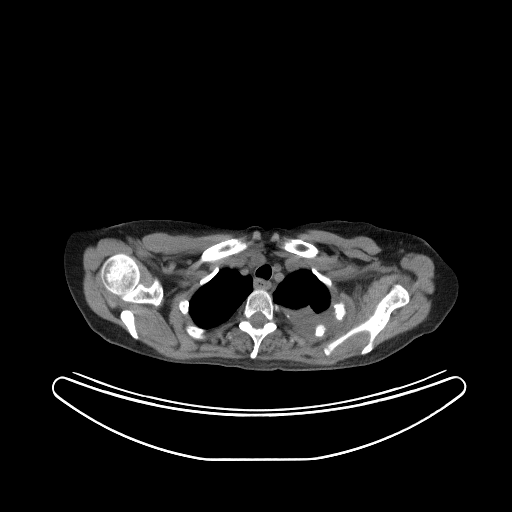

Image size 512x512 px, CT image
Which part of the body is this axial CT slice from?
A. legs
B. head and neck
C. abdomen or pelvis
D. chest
Answer: D. chest
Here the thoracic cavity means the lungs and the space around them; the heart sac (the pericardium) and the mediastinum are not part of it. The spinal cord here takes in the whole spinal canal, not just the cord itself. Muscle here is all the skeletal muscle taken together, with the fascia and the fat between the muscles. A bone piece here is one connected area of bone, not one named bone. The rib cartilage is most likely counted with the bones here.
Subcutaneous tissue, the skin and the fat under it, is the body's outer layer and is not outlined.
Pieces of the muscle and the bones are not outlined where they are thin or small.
Outlines (x, y in pixels):
muscle: 308 229; 347 238; 367 236; 381 247; 377 256; 388 266; 409 252; 424 254; 434 264; 435 290; 425 320; 374 348; 392 312; 410 301; 407 288; 395 283; 365 320; 323 347; 328 357; 350 337; 368 333; 360 355; 333 364; 256 359; 263 339; 279 327; 281 317; 319 338; 334 317; 341 321; 346 314; 343 301; 332 303; 330 277; 268 251; 216 265; 199 279; 189 300; 182 298; 177 304; 193 322; 185 325; 186 333; 197 340; 235 315; 225 326; 235 325; 249 335; 253 344; 249 357; 166 357; 138 340; 131 309; 119 312; 126 331; 95 313; 83 294; 83 251; 102 238; 256 230; 267 238; 274 232; 293 236, around holes outlined by 117 253; 124 253; 134 259; 139 269; 140 274; 139 282; 141 284; 147 287; 153 282; 155 278; 157 278; 160 281; 163 289; 163 296; 159 305; 155 306; 149 303; 135 303; 124 301; 117 295; 106 289; 101 279; 100 269; 107 258 and by 232 237; 240 237; 247 241; 248 242; 248 247; 245 250; 241 251; 236 254; 232 254; 223 257; 215 261; 209 261; 208 262; 197 263; 198 260; 200 258; 202 252; 205 249; 222 240; 225 240; 228 238; 231 238 and by 287 238; 298 238; 304 241; 306 241; 309 243; 311 243; 313 244; 318 249; 318 253; 314 257; 312 258; 308 258; 307 257; 303 257; 302 256; 300 256; 299 255; 297 255; 296 254; 288 252; 282 249; 280 247; 280 244; 285 239
torso: 144 219; 183 220; 237 229; 252 225; 264 229; 290 228; 325 220; 368 222; 423 238; 455 272; 458 295; 435 330; 387 358; 365 366; 253 371; 164 362; 109 343; 89 327; 81 314; 120 302; 137 288; 142 274; 142 247; 134 220
right arm: 133 220; 138 233; 138 238; 140 241; 140 246; 141 247; 141 274; 136 288; 125 298; 120 301; 117 301; 107 305; 103 305; 94 310; 81 313; 70 294; 64 275; 63 253; 66 240; 69 234; 74 228; 81 225; 90 227; 109 226
thoracic cavity 1: 302 267; 310 270; 317 279; 328 289; 331 299; 331 307; 333 309; 333 319; 331 322; 325 325; 323 323; 318 323; 314 327; 313 331; 306 331; 290 324; 281 315; 281 307; 279 304; 274 302; 272 296; 273 292; 279 283; 289 273
thoracic cavity 2: 226 266; 238 270; 238 271; 244 276; 245 275; 250 275; 252 278; 252 290; 247 295; 235 314; 227 321; 207 329; 204 327; 198 326; 194 323; 191 316; 189 314; 190 299; 194 293; 201 286; 209 282; 218 273; 219 270; 221 268
mediastinum: 267 252; 272 255; 293 260; 297 262; 301 266; 301 267; 299 267; 289 272; 278 283; 272 293; 270 293; 263 288; 254 288; 253 289; 253 278; 250 274; 245 274; 244 275; 238 269; 227 266; 236 260; 242 258; 247 258; 251 256
bones 1: 117 253; 124 253; 134 259; 139 269; 140 274; 139 282; 141 284; 147 287; 153 282; 155 278; 157 278; 160 281; 163 289; 163 296; 159 305; 155 306; 149 303; 135 303; 124 301; 117 295; 106 289; 101 279; 100 269; 107 258
bones 2: 254 289; 263 289; 271 294; 273 302; 280 307; 281 316; 278 327; 274 331; 268 333; 262 339; 256 357; 252 359; 250 358; 250 353; 253 349; 254 344; 250 335; 240 330; 235 324; 228 326; 226 325; 235 319; 236 313; 239 308; inner edge: 256 313; 260 313; 261 314; 262 314; 265 317; 265 318; 266 319; 266 321; 260 327; 256 327; 255 326; 254 326; 250 322; 250 321; 249 320; 249 319; 252 316; 252 315; 253 315; 254 314; 255 314
bones 3: 395 284; 401 284; 406 288; 409 293; 409 301; 407 304; 391 312; 387 323; 375 337; 373 348; 363 355; 360 354; 369 338; 369 333; 367 331; 362 331; 347 338; 327 356; 324 353; 324 347; 354 326; 365 321; 374 312; 379 301
bones 4: 232 237; 240 237; 247 241; 248 242; 248 247; 245 250; 241 251; 236 254; 232 254; 223 257; 215 261; 209 261; 208 262; 197 263; 198 260; 200 258; 202 252; 205 249; 222 240; 225 240; 228 238; 231 238
bones 5: 287 238; 298 238; 304 241; 306 241; 309 243; 311 243; 313 244; 318 249; 318 253; 314 257; 312 258; 308 258; 307 257; 303 257; 302 256; 300 256; 299 255; 297 255; 296 254; 288 252; 282 249; 280 247; 280 244; 285 239
bones 6: 125 309; 128 309; 129 310; 131 310; 134 314; 134 323; 135 324; 135 328; 136 329; 136 331; 138 335; 138 339; 137 340; 136 339; 134 339; 130 335; 125 325; 123 323; 123 322; 120 318; 120 312; 122 310; 124 310
bones 7: 193 323; 198 327; 200 327; 201 328; 204 328; 206 329; 206 331; 204 334; 204 336; 205 337; 203 339; 197 339; 196 338; 194 338; 190 336; 187 333; 185 329; 185 327; 186 325; 187 324; 192 324
bones 8: 341 301; 344 303; 344 306; 345 307; 345 314; 343 316; 343 317; 341 320; 337 320; 335 318; 335 317; 334 316; 334 309; 332 306; 332 304; 333 304; 334 303; 336 303; 337 302; 340 302
bones 9: 312 267; 314 267; 320 273; 321 273; 322 274; 323 274; 324 275; 325 275; 326 276; 327 276; 329 278; 330 278; 330 279; 331 280; 331 287; 329 289; 321 281; 320 281; 318 279; 318 278; 311 271; 311 268
bones 10: 216 266; 218 266; 218 267; 219 268; 217 273; 209 281; 208 281; 206 283; 205 283; 204 284; 199 286; 199 281; 200 280; 200 279; 202 277; 207 275; 210 272; 211 272; 214 269; 214 268
bones 11: 182 299; 186 299; 187 300; 188 300; 189 301; 189 307; 188 308; 188 315; 185 315; 184 314; 183 314; 182 313; 182 312; 179 309; 179 307; 178 306; 178 304; 179 303; 179 301; 180 300; 181 300
bones 12: 318 324; 323 324; 325 326; 325 327; 326 328; 326 329; 325 330; 325 331; 324 332; 324 333; 323 334; 323 335; 322 336; 320 336; 319 337; 317 337; 316 336; 315 336; 314 335; 314 329; 315 328; 315 327
spinal cord: 256 313; 260 313; 261 314; 262 314; 265 317; 265 318; 266 319; 266 321; 260 327; 256 327; 255 326; 254 326; 250 322; 250 321; 249 320; 249 319; 252 316; 252 315; 253 315; 254 314; 255 314